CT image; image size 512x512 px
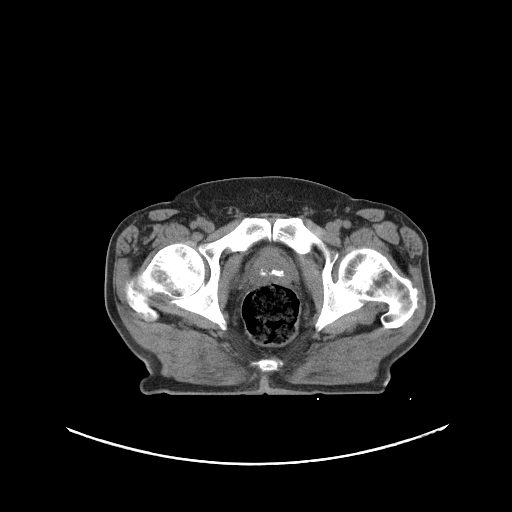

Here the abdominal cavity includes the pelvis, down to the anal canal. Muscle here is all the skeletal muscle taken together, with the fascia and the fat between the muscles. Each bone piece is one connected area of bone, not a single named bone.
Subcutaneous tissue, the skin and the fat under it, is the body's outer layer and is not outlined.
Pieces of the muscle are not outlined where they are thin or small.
{"torso":[[[246,176],[302,178],[355,198],[386,203],[403,211],[425,234],[435,307],[420,338],[391,366],[382,393],[169,395],[163,392],[145,395],[139,390],[138,383],[148,371],[116,331],[104,303],[105,258],[110,237],[118,223],[137,209],[167,201],[202,182]]],"bones":[[[293,216],[338,252],[334,279],[341,258],[359,247],[408,278],[417,308],[403,325],[385,328],[387,304],[365,301],[317,331],[323,253],[267,239],[220,255],[225,330],[160,292],[147,299],[153,320],[129,305],[126,282],[161,248],[196,248],[244,217]],[[262,358],[263,359],[266,359],[267,358],[272,358],[275,360],[282,360],[283,362],[283,364],[276,370],[272,370],[271,371],[261,371],[256,366],[251,366],[249,364],[250,362],[252,361],[256,361]]],"muscle":[[[364,208],[395,212],[417,231],[426,299],[419,325],[381,360],[371,381],[294,384],[276,373],[262,383],[238,385],[178,381],[161,375],[156,356],[133,339],[117,311],[116,241],[139,216],[175,209],[227,223],[241,213],[276,212],[292,216],[272,222],[244,216],[227,233],[196,247],[189,241],[161,247],[125,282],[125,299],[136,313],[157,319],[148,299],[163,294],[222,331],[228,326],[243,351],[259,358],[249,362],[251,367],[276,371],[284,362],[275,359],[311,327],[315,306],[298,255],[314,245],[324,259],[317,332],[365,302],[386,304],[379,318],[382,326],[399,328],[418,308],[419,290],[412,281],[369,246],[343,255],[334,278],[339,252],[298,216],[321,226]],[[226,249],[231,252],[243,253],[243,256],[240,262],[239,270],[230,283],[230,290],[225,306],[225,309],[228,314],[228,323],[227,324],[227,321],[225,319],[220,308],[219,299],[218,298],[218,286],[219,285],[219,280],[221,273],[220,258],[222,253]]],"abdominal_cavity":[[[262,240],[280,242],[291,248],[297,254],[303,284],[314,306],[314,312],[309,320],[309,329],[301,339],[283,353],[281,357],[276,358],[264,356],[260,358],[244,351],[236,332],[228,325],[229,314],[226,309],[231,283],[240,270],[244,253],[254,244]]]}